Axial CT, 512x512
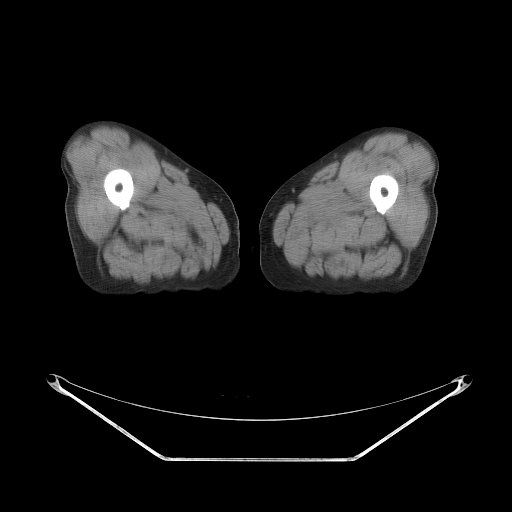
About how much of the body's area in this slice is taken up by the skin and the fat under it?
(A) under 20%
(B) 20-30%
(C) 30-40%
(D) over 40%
(B) 20-30%
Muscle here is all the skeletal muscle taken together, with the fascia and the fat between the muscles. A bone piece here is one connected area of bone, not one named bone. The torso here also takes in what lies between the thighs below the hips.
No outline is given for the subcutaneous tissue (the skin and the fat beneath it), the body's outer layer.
{"left_leg":[[[381,125],[398,125],[416,131],[433,145],[439,159],[434,187],[438,206],[437,222],[423,270],[417,281],[409,289],[394,296],[363,294],[325,297],[308,292],[284,291],[272,285],[261,271],[258,248],[259,221],[270,197],[289,177],[340,143],[366,129]]],"right_leg":[[[102,118],[124,121],[149,133],[211,177],[229,195],[239,219],[240,231],[240,269],[229,286],[217,293],[205,290],[198,293],[161,293],[155,297],[101,297],[84,285],[76,269],[66,225],[64,202],[67,184],[60,167],[60,152],[66,138],[75,128]]],"torso":[[[250,236],[252,236],[252,237],[253,238],[253,241],[254,242],[254,246],[255,247],[255,249],[254,250],[254,251],[250,255],[249,254],[248,254],[248,245],[249,244],[249,238],[250,237]]],"bones":[[[115,168],[124,168],[126,169],[131,174],[132,180],[133,181],[133,184],[134,185],[134,191],[133,192],[133,195],[130,200],[129,206],[124,210],[121,210],[117,206],[113,204],[108,199],[103,187],[103,179],[105,175],[110,170],[114,169]],[[383,173],[385,173],[386,174],[390,174],[396,179],[398,183],[398,193],[397,194],[397,197],[392,206],[390,207],[384,214],[381,214],[377,211],[375,206],[372,203],[369,197],[369,186],[370,185],[371,180],[375,175],[377,175],[378,174],[382,174]]],"muscle":[{"outer":[[102,124],[122,125],[132,130],[144,141],[187,169],[219,195],[234,226],[234,234],[230,252],[214,275],[199,282],[167,282],[145,285],[134,282],[113,282],[100,275],[96,262],[96,249],[83,235],[74,216],[77,184],[65,167],[62,150],[74,136]],"hole":[[115,168],[124,168],[126,169],[131,174],[132,180],[133,181],[133,184],[134,185],[134,191],[133,192],[133,195],[130,200],[129,206],[124,210],[121,210],[117,206],[113,204],[108,199],[103,187],[103,179],[105,175],[110,170],[114,169]]},{"outer":[[389,131],[414,134],[432,153],[431,155],[434,160],[434,169],[428,191],[429,218],[424,238],[417,248],[409,275],[401,280],[374,283],[333,283],[292,278],[284,274],[276,260],[272,244],[273,219],[279,198],[313,171],[331,162],[344,150],[375,134]],"hole":[[383,173],[385,173],[386,174],[390,174],[396,179],[398,183],[398,193],[397,194],[397,197],[392,206],[390,207],[384,214],[381,214],[377,211],[375,206],[372,203],[369,197],[369,186],[370,185],[371,180],[375,175],[377,175],[378,174],[382,174]]}]}